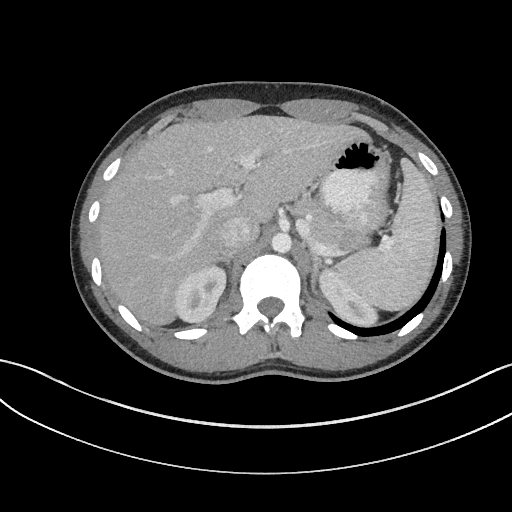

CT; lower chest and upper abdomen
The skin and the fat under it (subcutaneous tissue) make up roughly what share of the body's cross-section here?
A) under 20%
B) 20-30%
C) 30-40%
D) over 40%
A) under 20%
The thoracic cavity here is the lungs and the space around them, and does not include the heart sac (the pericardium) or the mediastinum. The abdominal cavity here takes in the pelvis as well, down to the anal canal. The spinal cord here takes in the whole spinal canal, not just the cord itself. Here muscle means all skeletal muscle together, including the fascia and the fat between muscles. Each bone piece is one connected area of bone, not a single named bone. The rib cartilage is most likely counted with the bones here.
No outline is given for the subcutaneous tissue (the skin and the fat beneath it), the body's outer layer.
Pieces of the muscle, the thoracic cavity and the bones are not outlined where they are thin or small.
Outlined structures:
abdominal cavity: (166, 329) (207, 319) (228, 297) (232, 272) (269, 253) (303, 268) (312, 297) (343, 322) (374, 327) (395, 320) (423, 294) (438, 256) (440, 209) (424, 173) (396, 145) (356, 120) (309, 122) (264, 107) (169, 126) (121, 166) (109, 182) (97, 220) (106, 283) (140, 324)
torso: (206, 385) (264, 375) (326, 382) (356, 380) (407, 359) (448, 321) (469, 270) (469, 211) (445, 156) (396, 107) (364, 91) (328, 83) (206, 83) (171, 92) (147, 104) (115, 132) (98, 154) (78, 190) (69, 227) (70, 264) (79, 296) (98, 326) (132, 358) (175, 379)
spinal cord: (270, 320) (282, 308) (282, 306) (283, 305) (282, 302) (279, 299) (277, 299) (276, 298) (273, 298) (272, 297) (269, 297) (268, 298) (266, 298) (265, 299) (262, 300) (258, 304) (258, 307) (261, 311) (261, 312) (262, 312) (264, 314) (265, 314) (269, 318) (269, 319)
thoracic cavity: (360, 336) (374, 336) (397, 330) (416, 314) (424, 309) (430, 300) (440, 277) (442, 258) (445, 250) (445, 233) (443, 229) (441, 233) (440, 250) (437, 266) (429, 286) (415, 306) (403, 314) (398, 319) (382, 327) (360, 328) (343, 323) (333, 313) (330, 313) (335, 323)
muscle: (208, 376) (230, 373) (237, 370) (244, 370) (248, 367) (261, 363) (263, 361) (269, 359) (268, 357) (269, 353) (275, 350) (280, 352) (280, 355) (276, 357) (279, 357) (283, 360) (286, 360) (291, 364) (298, 367) (302, 367) (304, 369) (311, 369) (326, 373) (335, 373) (350, 370) (354, 368) (361, 368) (364, 366) (373, 364) (379, 360) (384, 359) (393, 354) (405, 344) (416, 337) (432, 323) (440, 313) (442, 307) (451, 295) (455, 287) (459, 273) (460, 261) (462, 257) (464, 232) (462, 227) (463, 222) (462, 211) (456, 192) (450, 181) (444, 166) (437, 156) (425, 144) (403, 128) (378, 114) (372, 109) (370, 109) (364, 105) (360, 105) (345, 100) (326, 99) (325, 98) (300, 98) (299, 99) (292, 99) (280, 103) (262, 104) (240, 98) (209, 98) (191, 101) (171, 107) (165, 110) (136, 129) (107, 155) (98, 167) (90, 186) (87, 190) (86, 197) (82, 205) (78, 225) (78, 246) (80, 250) (80, 255) (83, 262) (84, 269) (86, 272) (86, 275) (88, 278) (93, 295) (102, 311) (116, 325) (135, 340) (142, 348) (150, 354) (161, 361) (174, 367) (197, 374) (202, 374), around holes outlined by (188, 340) (207, 332) (191, 327) (228, 297) (232, 272) (244, 265) (239, 282) (242, 308) (224, 318) (242, 335) (258, 325) (273, 335) (279, 324) (289, 328) (292, 338) (301, 334) (305, 316) (299, 305) (297, 267) (304, 269) (312, 297) (328, 310) (334, 322) (327, 328) (334, 335) (354, 340) (395, 330) (398, 336) (409, 333) (420, 323) (438, 282) (445, 282) (452, 271) (440, 226) (452, 215) (449, 201) (440, 196) (438, 202) (408, 155) (356, 120) (309, 122) (264, 107) (246, 115) (169, 126) (128, 162) (121, 166) (118, 157) (104, 171) (108, 187) (88, 214) (91, 223) (98, 221) (100, 253) (92, 260) (91, 273) (97, 286) (103, 277) (106, 280) (130, 326) (138, 331) (142, 324) (171, 329) (175, 337) and by (432, 175) (436, 175) (438, 173) (438, 170) (437, 169) (437, 168) (436, 167) (435, 164) (426, 155) (425, 155) (422, 152) (418, 152) (417, 153) (417, 156) (418, 157) (418, 159) (419, 160) (419, 161) (421, 163) (421, 164) (423, 166) (423, 167) (430, 174) (431, 174)
bones 1: (292, 338) (301, 334) (305, 320) (299, 305) (299, 274) (295, 266) (281, 256) (271, 254) (261, 256) (248, 264) (241, 274) (239, 291) (243, 302) (242, 308) (224, 320) (234, 322) (242, 335) (258, 325) (268, 335) (273, 335) (278, 329) (277, 326) (284, 324) (289, 328); inner edge: (270, 320) (282, 308) (282, 306) (283, 305) (282, 302) (279, 299) (277, 299) (276, 298) (273, 298) (272, 297) (269, 297) (268, 298) (266, 298) (265, 299) (262, 300) (258, 304) (258, 307) (261, 311) (261, 312) (262, 312) (264, 314) (265, 314) (269, 318) (269, 319)
bones 2: (188, 340) (193, 340) (194, 339) (196, 339) (197, 338) (198, 338) (199, 337) (204, 335) (207, 332) (207, 330) (206, 329) (204, 329) (203, 328) (187, 328) (186, 329) (181, 329) (180, 330) (172, 330) (172, 334) (175, 337) (176, 337) (179, 339) (187, 339)
bones 3: (138, 331) (141, 331) (142, 330) (142, 327) (141, 325) (139, 324) (139, 322) (138, 320) (125, 306) (124, 306) (122, 304) (119, 304) (117, 306) (117, 309) (120, 315) (122, 317) (122, 318) (130, 326) (131, 326) (133, 328) (134, 328)
bones 4: (351, 340) (354, 340) (358, 338) (358, 336) (356, 334) (346, 329) (344, 329) (342, 327) (340, 327) (338, 325) (334, 323) (330, 323) (327, 325) (327, 328) (329, 330) (329, 331) (330, 331) (334, 335) (338, 337) (340, 337) (343, 339) (350, 339)
bones 5: (442, 283) (445, 282) (447, 280) (447, 279) (449, 277) (452, 271) (452, 263) (451, 262) (451, 255) (449, 251) (447, 249) (446, 249) (445, 251) (445, 254) (443, 258) (443, 266) (442, 267) (442, 272) (441, 273) (441, 277) (439, 281)
bones 6: (398, 336) (403, 336) (404, 335) (409, 333) (412, 330) (413, 330) (420, 323) (420, 322) (423, 317) (423, 312) (421, 312) (420, 313) (419, 313) (417, 315) (416, 315) (406, 324) (405, 324) (400, 329) (399, 329) (398, 330) (398, 332) (397, 333) (397, 335)
bones 7: (432, 175) (436, 175) (438, 173) (438, 170) (437, 169) (437, 168) (436, 167) (435, 164) (426, 155) (425, 155) (422, 152) (418, 152) (417, 153) (417, 156) (418, 157) (418, 159) (419, 160) (419, 161) (421, 163) (421, 164) (423, 166) (423, 167) (430, 174) (431, 174)
bones 8: (97, 286) (100, 286) (101, 285) (101, 279) (102, 278) (102, 273) (101, 272) (101, 265) (100, 264) (100, 261) (97, 257) (95, 257) (93, 258) (92, 260) (92, 264) (91, 265) (91, 273) (93, 277) (93, 281) (94, 283)
bones 9: (105, 181) (109, 181) (116, 174) (116, 173) (118, 171) (118, 170) (120, 167) (120, 164) (121, 163) (121, 158) (120, 157) (118, 157) (116, 159) (115, 159) (106, 168) (106, 169) (104, 171) (102, 177) (103, 178) (103, 180) (104, 180)
bones 10: (447, 219) (450, 218) (452, 215) (452, 208) (451, 207) (451, 205) (450, 204) (449, 201) (447, 199) (447, 198) (445, 196) (440, 196) (440, 197) (439, 198) (439, 205) (440, 206) (440, 208) (441, 209) (441, 211) (443, 214) (443, 216) (445, 218) (446, 218)
bones 11: (91, 223) (94, 222) (97, 219) (97, 217) (98, 216) (98, 214) (99, 213) (99, 209) (100, 208) (100, 202) (98, 200) (96, 200) (95, 201) (94, 201) (93, 202) (93, 203) (91, 205) (91, 206) (89, 209) (89, 213) (88, 214) (88, 219) (89, 220) (89, 221)